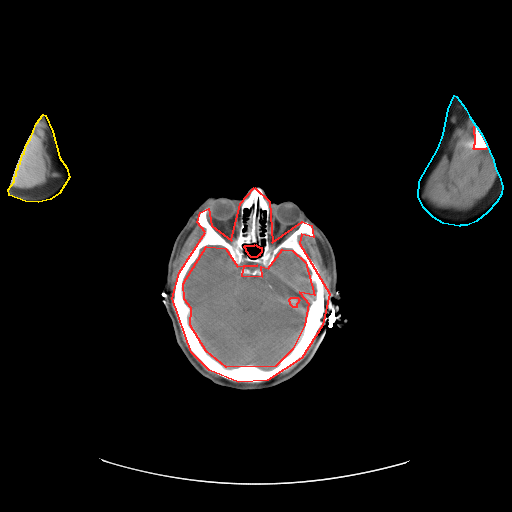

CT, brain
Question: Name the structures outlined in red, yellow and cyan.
Answer: red: bones; yellow: right arm; cyan: left arm.
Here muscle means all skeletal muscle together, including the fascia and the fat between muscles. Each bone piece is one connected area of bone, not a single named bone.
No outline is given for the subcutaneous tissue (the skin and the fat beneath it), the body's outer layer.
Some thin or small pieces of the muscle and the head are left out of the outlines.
The bones appear in 3 outlined pieces: piece 1: [[254,187],[269,201],[272,242],[302,221],[311,225],[313,237],[301,234],[299,243],[329,293],[322,325],[301,358],[267,380],[238,382],[209,370],[191,352],[172,298],[179,272],[205,232],[197,222],[200,212],[208,208],[211,225],[231,240],[240,203]], around holes outlined by [[206,246],[225,248],[237,266],[257,265],[243,266],[241,275],[262,276],[261,266],[268,268],[282,249],[292,250],[305,262],[314,295],[299,292],[308,303],[304,325],[292,349],[275,366],[226,367],[206,351],[190,325],[191,308],[184,299],[183,283]] and by [[255,244],[257,246],[258,246],[259,247],[261,247],[261,252],[259,254],[259,255],[258,255],[256,257],[251,257],[248,254],[248,253],[246,251],[246,249],[244,247],[244,246],[245,245],[254,245]]; piece 2: [[475,125],[478,128],[478,130],[482,135],[482,136],[483,137],[483,138],[484,139],[484,140],[485,141],[485,142],[487,145],[487,147],[485,149],[475,149],[474,148],[473,148],[474,147],[474,144],[475,143],[475,135],[474,134],[474,126]]; piece 3: [[291,297],[297,297],[298,298],[298,299],[299,300],[298,301],[298,302],[296,304],[296,307],[293,307],[290,304],[290,302],[289,301],[289,299]]. The right arm is outlined by [[43,114],[45,115],[52,131],[59,157],[66,167],[69,177],[59,193],[50,199],[38,202],[25,201],[9,195],[8,189],[14,181],[14,176],[16,175],[16,170],[18,168],[18,164],[20,163],[22,154],[24,153],[26,144],[30,139],[36,123]]. The left arm is outlined by [[454,95],[456,96],[465,108],[469,116],[482,135],[493,160],[495,169],[499,176],[502,186],[501,194],[496,202],[487,212],[476,221],[467,225],[460,225],[459,226],[443,223],[433,217],[423,207],[418,196],[419,181],[438,148],[443,134],[448,109]]. The brain is outlined by [[206,246],[225,248],[237,266],[257,265],[243,266],[241,275],[262,276],[261,266],[268,268],[282,249],[292,250],[305,262],[314,295],[299,292],[308,303],[304,325],[292,349],[275,366],[226,367],[206,351],[190,325],[191,308],[184,299],[183,283]]; inner edge: [[291,297],[297,297],[298,298],[298,299],[299,300],[298,301],[298,302],[296,304],[296,307],[293,307],[290,304],[290,302],[289,301],[289,299]]. The muscle appears in 6 outlined pieces: piece 1: [[461,108],[467,111],[475,124],[473,126],[474,143],[472,148],[475,150],[485,150],[488,148],[495,166],[495,179],[486,195],[471,208],[467,210],[440,208],[434,206],[426,199],[424,196],[424,186],[429,175],[446,151],[453,126],[456,122],[456,114]]; piece 2: [[39,120],[42,120],[45,123],[51,146],[51,158],[55,162],[53,165],[53,178],[51,178],[44,185],[38,187],[29,189],[14,187],[12,182],[14,181],[18,164],[20,163],[20,159],[24,153],[24,149],[28,143],[28,140],[30,139],[34,127]]; piece 3: [[312,226],[316,229],[322,240],[324,248],[323,249],[325,250],[325,257],[329,265],[329,272],[331,279],[329,289],[327,287],[326,288],[327,293],[326,296],[325,286],[320,271],[307,251],[301,245],[299,239],[301,235],[306,235],[313,238],[315,235]]; piece 4: [[198,214],[196,222],[200,227],[204,229],[204,232],[198,242],[188,252],[187,256],[178,272],[172,288],[172,297],[171,301],[170,297],[171,296],[172,295],[172,290],[171,289],[170,284],[173,271],[173,263],[179,248],[182,245],[184,240],[192,229],[192,222],[193,220]]; piece 5: [[315,337],[316,337],[316,339],[307,355],[291,370],[290,370],[285,374],[283,374],[282,375],[278,375],[279,375],[284,371],[287,370],[291,366],[292,366],[293,364],[294,364],[299,359],[301,359],[305,355],[307,351],[313,344]]; piece 6: [[194,356],[209,371],[210,371],[211,372],[212,372],[213,373],[214,373],[216,375],[217,375],[215,375],[214,374],[213,374],[211,372],[210,372],[209,371],[208,371],[207,370],[206,370],[197,361],[197,360],[194,357]]. The head is outlined by [[252,187],[261,188],[270,202],[294,202],[325,234],[340,295],[331,303],[347,321],[339,327],[339,313],[329,312],[313,357],[291,378],[267,388],[237,389],[214,383],[188,361],[177,344],[163,286],[174,241],[192,213],[211,196],[242,199]] with a hole at [[255,244],[257,246],[258,246],[259,247],[261,247],[261,252],[259,254],[259,255],[258,255],[256,257],[251,257],[248,254],[248,253],[246,251],[246,249],[244,247],[244,246],[245,245],[254,245]].